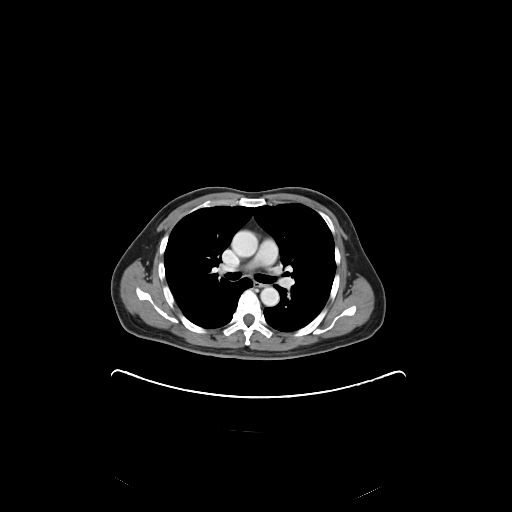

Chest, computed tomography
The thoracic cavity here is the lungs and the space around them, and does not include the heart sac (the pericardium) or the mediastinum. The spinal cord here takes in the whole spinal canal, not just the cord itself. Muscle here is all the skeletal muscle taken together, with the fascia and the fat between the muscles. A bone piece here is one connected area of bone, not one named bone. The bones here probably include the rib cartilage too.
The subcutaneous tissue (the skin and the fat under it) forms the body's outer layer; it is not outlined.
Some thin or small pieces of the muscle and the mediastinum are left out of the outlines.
Outlined structures:
thoracic cavity 1: 216,206 241,206 251,207 252,209 252,215 231,237 220,257 221,264 226,272 236,280 248,279 251,282 251,286 239,295 232,316 225,326 206,328 191,321 176,303 166,280 164,253 173,228 184,216 202,208
thoracic cavity 2: 282,203 300,203 314,210 325,222 334,243 333,250 336,267 328,298 314,318 294,331 281,331 272,328 265,318 263,310 277,305 280,301 279,292 274,287 276,279 280,274 280,249 274,238 254,217 256,207
muscle 1: 217,192 232,192 244,196 239,198 206,199 187,210 170,233 166,232 160,238 159,241 158,245 158,253 161,256 163,255 163,260 157,264 157,274 162,282 166,281 162,286 165,301 172,309 175,303 181,312 178,313 177,317 169,315 159,307 151,295 140,287 135,288 135,294 139,300 148,301 165,319 173,323 179,321 191,332 206,334 207,329 222,328 221,332 225,336 229,336 241,330 245,346 237,348 192,344 172,333 148,325 138,320 126,309 120,296 120,281 123,272 136,259 140,258 146,270 151,271 155,250 158,241 162,235 161,232 157,231 158,225 180,205 200,196
muscle 2: 274,193 297,194 320,203 334,214 347,235 347,238 343,240 346,259 346,282 349,284 353,279 361,275 370,284 374,294 374,307 369,318 355,331 336,338 288,350 258,350 248,346 254,331 259,332 266,338 270,338 273,335 274,331 272,329 281,332 292,332 291,334 294,337 301,337 311,333 314,335 324,333 330,330 341,317 354,315 357,308 352,304 337,314 327,326 319,327 328,311 325,305 328,299 334,300 340,285 340,275 336,272 336,268 340,264 341,254 333,238 336,232 334,224 326,213 321,210 316,211 303,203 279,200 269,202 262,196
bones 1: 248,288 251,288 257,296 264,318 268,326 273,331 273,333 270,337 266,337 259,331 254,330 249,337 249,344 245,345 245,336 241,329 238,329 229,335 225,335 222,332 222,330 231,320 237,307 240,295 with a hole at 247,314 251,314 253,316 253,321 250,324 249,324 248,325 247,324 246,324 245,323 245,322 244,321 244,316 245,315 246,315
bones 2: 242,197 249,197 250,198 262,197 269,203 272,203 274,201 283,202 281,203 265,204 255,207 254,206 242,206 241,205 216,205 210,207 202,207 184,215 187,211 204,202 206,200 229,199 230,198 239,199
bones 3: 352,305 354,305 356,308 354,314 341,316 336,320 330,329 324,332 318,334 314,334 311,332 301,336 294,336 292,334 314,319 324,307 327,308 327,311 318,325 319,328 323,329 327,327 333,319 343,310
bones 4: 137,287 147,292 150,295 154,303 169,316 177,318 179,313 182,313 194,324 205,328 207,332 206,333 194,332 185,327 179,320 177,322 173,322 165,318 154,308 148,300 145,299 141,300 138,298 136,294
bones 5: 165,284 167,284 167,285 168,286 168,287 169,288 169,289 174,298 174,300 175,301 175,302 174,303 174,306 173,307 173,308 170,307 170,306 166,301 166,299 164,296 164,294 163,293 163,286
bones 6: 336,273 337,273 339,275 339,285 338,286 338,288 337,289 336,294 335,295 333,300 331,300 330,299 329,299 329,295 330,294 330,291 331,290 332,283 333,282 333,280 334,279 334,277 335,276 335,274
bones 7: 317,211 321,211 322,212 323,212 325,214 326,214 330,218 330,219 333,224 333,226 334,227 334,231 335,232 333,235 332,234 330,229 328,227 326,222 323,219 323,218 317,212
bones 8: 166,233 167,233 169,235 168,236 168,239 167,240 167,243 166,244 166,246 165,247 165,250 164,251 164,252 163,253 163,254 162,255 161,255 159,253 159,245 160,244 160,241 161,240 161,238
bones 9: 161,261 163,261 163,264 164,265 164,269 165,270 165,279 163,281 162,281 160,279 160,278 159,277 159,275 158,274 158,264 159,263 159,262 160,262
bones 10: 335,246 337,246 337,247 338,248 338,249 339,250 339,253 340,254 340,259 339,260 339,264 338,265 336,265 336,263 335,262 335,251 334,250 335,249
mediastinum 1: 279,257 279,274 275,279 273,285 273,287 278,292 279,301 277,304 265,307 263,309 261,307 258,296 251,287 252,282 245,277 236,279 226,271 222,264 222,260 228,266 236,269 270,270 276,266 279,261
mediastinum 2: 252,207 254,207 255,208 253,212 253,217 255,221 267,233 268,233 271,236 263,232 261,232 260,231 258,231 254,229 241,229 239,231 238,231 238,230 239,230 240,228 241,228 253,215 253,209
pericardium: 241,230 254,230 255,231 263,233 271,237 274,240 274,241 278,245 278,251 279,252 278,261 274,267 270,269 243,269 242,268 236,268 235,267 232,267 224,262 221,257 222,256 224,249 232,237
torso: 205,186 227,186 246,191 302,186 317,190 334,199 350,217 361,245 383,284 386,313 381,327 370,338 344,347 309,356 273,360 202,355 143,339 126,331 119,322 110,296 111,276 117,262 161,207 181,194
spinal cord: 247,314 251,314 253,316 253,321 250,324 249,324 248,325 247,324 246,324 245,323 245,322 244,321 244,316 245,315 246,315